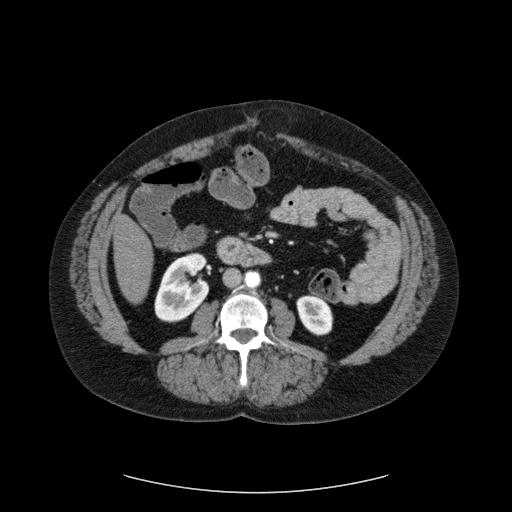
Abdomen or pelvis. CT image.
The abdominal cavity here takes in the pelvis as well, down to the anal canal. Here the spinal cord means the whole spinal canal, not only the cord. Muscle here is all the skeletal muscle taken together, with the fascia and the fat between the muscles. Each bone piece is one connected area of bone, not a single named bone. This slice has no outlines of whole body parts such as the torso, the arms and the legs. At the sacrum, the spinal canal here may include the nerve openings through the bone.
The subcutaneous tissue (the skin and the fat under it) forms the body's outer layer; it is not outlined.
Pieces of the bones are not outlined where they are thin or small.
Outlined structures:
spinal cord: 237,329 251,329 252,330 255,331 256,334 254,336 253,336 247,342 246,342 245,343 242,343 241,342 238,341 234,337 233,337 231,334 231,333 233,331 234,331
bones: 239,293 257,296 263,302 268,315 265,333 271,339 276,342 281,340 298,348 298,351 292,351 280,345 263,343 261,347 251,350 246,365 248,385 242,388 238,383 239,354 214,342 221,331 222,304 233,294, around a hole outlined by 237,329 251,329 252,330 255,331 256,334 254,336 253,336 247,342 246,342 245,343 242,343 241,342 238,341 234,337 233,337 231,334 231,333 233,331 234,331
muscle: 245,123 271,126 301,137 322,150 355,158 374,168 394,188 422,208 433,227 435,252 438,256 440,278 436,292 411,335 390,352 371,362 330,367 322,385 306,400 279,408 259,407 243,395 219,404 198,403 177,397 161,385 156,375 155,361 141,354 123,351 119,345 102,338 80,312 69,279 70,255 76,230 92,199 100,191 144,162 176,146, around holes outlined by 245,129 378,183 395,201 405,255 389,309 338,359 291,339 295,315 270,297 265,333 298,351 265,343 251,350 242,388 239,354 214,342 218,299 197,309 193,335 151,351 114,301 106,254 132,184 217,153 and by 202,339 207,339 208,340 207,342 205,343 203,343 197,346 193,346 188,349 186,348 186,346 188,344 190,344 191,343 194,343
abdominal cavity: 245,129 365,175 395,201 405,251 401,284 368,337 343,357 291,339 295,315 275,296 268,309 244,292 220,308 218,299 206,301 191,320 193,335 170,338 157,351 132,337 114,301 107,246 131,185 217,153